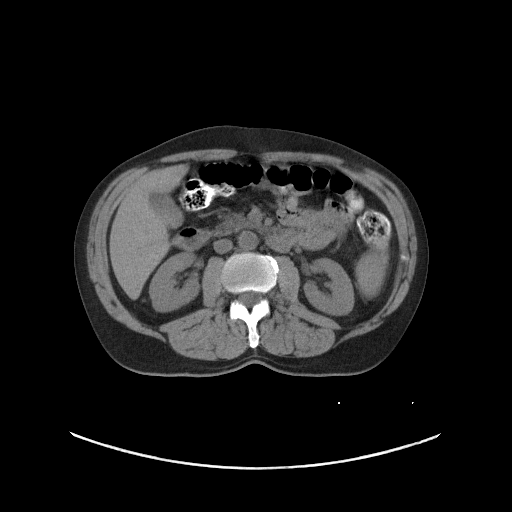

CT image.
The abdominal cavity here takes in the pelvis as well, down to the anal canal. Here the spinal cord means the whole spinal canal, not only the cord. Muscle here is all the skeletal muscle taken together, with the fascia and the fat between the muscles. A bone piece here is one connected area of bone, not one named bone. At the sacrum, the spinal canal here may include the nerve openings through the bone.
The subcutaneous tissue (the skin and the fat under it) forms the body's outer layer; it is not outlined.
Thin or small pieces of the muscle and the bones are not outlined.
Outlined structures:
abdominal cavity: 238,155 336,167 379,198 392,219 399,257 393,287 377,312 345,327 309,309 298,297 294,262 256,251 234,252 225,260 211,256 201,279 203,307 179,317 152,325 122,303 109,275 106,236 126,193 171,162
torso: 223,124 289,129 340,142 389,168 412,192 427,233 427,278 405,333 374,368 354,375 313,377 284,374 252,363 214,376 164,377 120,366 99,343 82,305 73,265 75,230 87,198 98,182 122,161 180,134
bones: 241,252 256,252 271,255 277,261 279,268 275,285 265,294 270,312 257,322 256,329 259,335 259,343 254,348 249,345 246,323 239,318 234,320 229,318 229,306 235,296 225,288 222,279 224,262 232,254, around a hole outlined by 248,291 253,291 254,292 257,292 258,293 260,293 261,294 261,298 259,300 259,301 258,302 257,302 256,303 255,303 250,308 248,308 243,303 242,303 239,300 239,295 241,293 243,293 244,292 247,292
muscle: 234,147 248,152 317,152 348,159 372,168 400,190 414,222 416,264 404,299 377,328 310,357 278,356 257,347 258,322 271,312 266,294 276,285 280,271 276,257 287,256 297,268 299,301 345,328 371,318 383,307 394,287 399,258 404,261 407,257 400,255 396,228 385,204 347,172 317,161 275,161 251,154 179,159 150,172 138,179 116,205 105,236 108,275 115,294 128,310 152,326 203,308 202,279 208,260 214,256 224,260 221,279 234,296 228,318 245,323 249,348 227,360 190,358 107,313 89,277 86,259 90,218 107,186 122,172 156,157
spinal cord: 248,291 253,291 254,292 257,292 258,293 260,293 261,294 261,298 259,300 259,301 258,302 257,302 256,303 255,303 250,308 248,308 243,303 242,303 239,300 239,295 241,293 243,293 244,292 247,292